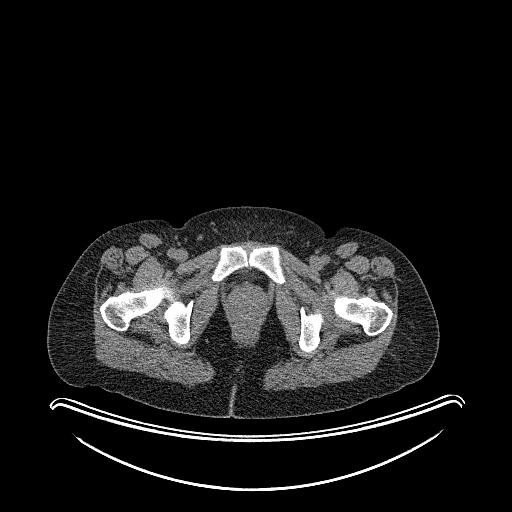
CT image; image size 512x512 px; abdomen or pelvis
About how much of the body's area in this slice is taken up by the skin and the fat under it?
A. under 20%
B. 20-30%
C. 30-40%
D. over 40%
Answer: D. over 40%
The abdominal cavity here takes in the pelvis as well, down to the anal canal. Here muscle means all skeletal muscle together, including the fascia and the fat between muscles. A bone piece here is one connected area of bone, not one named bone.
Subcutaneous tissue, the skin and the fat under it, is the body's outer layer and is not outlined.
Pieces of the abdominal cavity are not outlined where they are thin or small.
{"bones":[[[162,284],[172,289],[177,300],[185,304],[193,300],[190,337],[187,343],[179,345],[169,335],[168,325],[163,318],[163,313],[169,303],[166,299],[163,299],[149,312],[133,318],[125,331],[115,330],[103,320],[99,307],[108,297],[125,291],[139,292]],[[224,245],[225,246],[239,245],[242,246],[247,252],[249,252],[254,247],[270,245],[277,246],[280,254],[281,266],[285,276],[285,282],[278,284],[262,271],[255,267],[250,266],[242,267],[235,270],[221,281],[212,280],[211,274],[219,258],[220,249]],[[340,295],[348,297],[353,297],[354,298],[368,296],[376,301],[382,301],[384,302],[392,311],[392,316],[389,324],[380,333],[373,336],[367,335],[364,332],[362,327],[358,323],[346,320],[338,316],[334,312],[333,308],[334,299],[335,297]],[[302,306],[304,307],[305,311],[308,314],[309,313],[314,313],[319,311],[323,316],[323,322],[320,329],[320,334],[319,335],[320,336],[319,343],[317,347],[310,352],[303,351],[299,347],[299,344],[298,343],[300,331],[301,330],[300,308]]],"abdominal_cavity":[[[248,267],[255,268],[267,276],[267,296],[266,297],[263,311],[258,320],[257,325],[251,338],[247,341],[241,341],[237,336],[236,325],[235,324],[233,313],[228,302],[228,297],[226,290],[227,279],[225,278],[237,270],[239,270],[242,268],[247,268]]],"muscle":[{"outer":[[144,232],[193,255],[217,245],[240,241],[274,244],[249,251],[239,244],[224,244],[219,249],[210,274],[214,282],[226,279],[227,302],[241,342],[256,330],[268,278],[278,285],[286,282],[276,245],[303,262],[349,241],[375,247],[397,268],[398,317],[388,348],[376,368],[361,378],[268,391],[262,388],[265,371],[287,357],[290,347],[274,307],[254,345],[241,349],[219,305],[196,344],[215,369],[210,382],[188,388],[98,364],[93,334],[97,253]],"holes":[[[162,284],[172,289],[177,300],[185,304],[193,300],[190,337],[187,343],[179,345],[169,335],[168,325],[163,318],[163,313],[169,303],[166,299],[163,299],[149,312],[133,318],[125,331],[115,330],[103,320],[99,307],[108,297],[125,291],[139,292]],[[340,295],[348,297],[353,297],[354,298],[368,296],[376,301],[382,301],[384,302],[392,311],[392,316],[389,324],[380,333],[373,336],[367,335],[364,332],[362,327],[358,323],[346,320],[338,316],[334,312],[333,308],[334,299],[335,297]],[[302,306],[304,307],[305,311],[308,314],[309,313],[314,313],[319,311],[323,316],[323,322],[320,329],[320,334],[319,335],[320,336],[319,343],[317,347],[310,352],[303,351],[299,347],[299,344],[298,343],[300,331],[301,330],[300,308]]]}],"torso":[[[228,206],[285,209],[312,220],[328,237],[349,226],[397,247],[417,270],[436,313],[439,346],[429,371],[395,392],[349,408],[265,419],[168,411],[100,387],[64,382],[48,356],[47,322],[57,291],[86,247],[122,224],[163,219],[180,227],[199,213]]]}